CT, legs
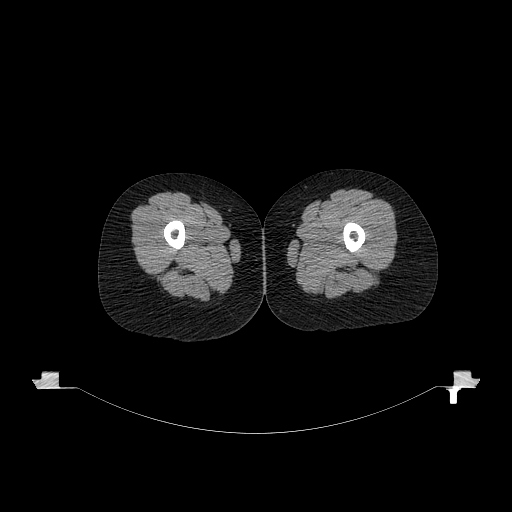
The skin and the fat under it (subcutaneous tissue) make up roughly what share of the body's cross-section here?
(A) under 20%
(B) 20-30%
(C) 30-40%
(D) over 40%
(D) over 40%
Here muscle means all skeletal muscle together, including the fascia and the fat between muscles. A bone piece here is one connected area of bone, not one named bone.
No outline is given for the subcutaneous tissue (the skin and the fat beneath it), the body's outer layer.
{"left_leg":[[[338,168],[368,170],[384,175],[395,181],[416,203],[433,232],[438,253],[437,284],[427,307],[412,320],[388,325],[344,329],[335,332],[309,332],[293,328],[279,320],[270,310],[267,301],[264,298],[262,223],[265,216],[276,200],[301,180],[324,170]]],"right_leg":[[[167,172],[199,174],[226,185],[239,194],[253,208],[260,220],[262,233],[263,299],[253,317],[243,327],[230,335],[209,341],[182,342],[132,332],[112,320],[100,301],[97,285],[98,251],[103,225],[112,205],[122,192],[135,182],[151,175]]],"bones":[[[350,221],[352,221],[359,224],[364,229],[364,231],[365,232],[365,240],[364,242],[362,244],[361,247],[358,250],[354,252],[351,252],[346,248],[345,244],[344,243],[344,241],[343,240],[343,235],[342,234],[344,225],[347,222],[349,222]],[[174,219],[181,220],[183,222],[183,224],[184,225],[184,228],[185,229],[185,240],[184,241],[184,244],[182,246],[182,247],[179,249],[175,249],[171,246],[170,246],[167,243],[167,242],[165,240],[163,236],[163,229],[165,225],[168,222]]],"muscle":[{"outer":[[347,186],[357,186],[370,190],[376,195],[388,200],[393,205],[398,237],[395,246],[395,255],[386,277],[376,288],[364,296],[349,297],[335,304],[320,306],[313,304],[304,298],[292,282],[287,265],[287,242],[304,208],[312,200],[327,194],[336,188]],"hole":[[350,221],[352,221],[359,224],[364,229],[364,231],[365,232],[365,240],[364,242],[362,244],[361,247],[358,250],[354,252],[351,252],[346,248],[345,244],[344,243],[344,241],[343,240],[343,235],[342,234],[344,225],[347,222],[349,222]]},{"outer":[[165,190],[185,191],[196,197],[209,201],[229,221],[238,237],[241,249],[241,257],[238,264],[233,286],[226,299],[215,307],[206,309],[197,309],[176,302],[170,298],[148,274],[144,272],[136,260],[133,245],[131,242],[130,214],[138,204],[153,194]],"hole":[[174,219],[181,220],[183,222],[183,224],[184,225],[184,228],[185,229],[185,240],[184,241],[184,244],[182,246],[182,247],[179,249],[175,249],[171,246],[170,246],[167,243],[167,242],[165,240],[163,236],[163,229],[165,225],[168,222]]}]}